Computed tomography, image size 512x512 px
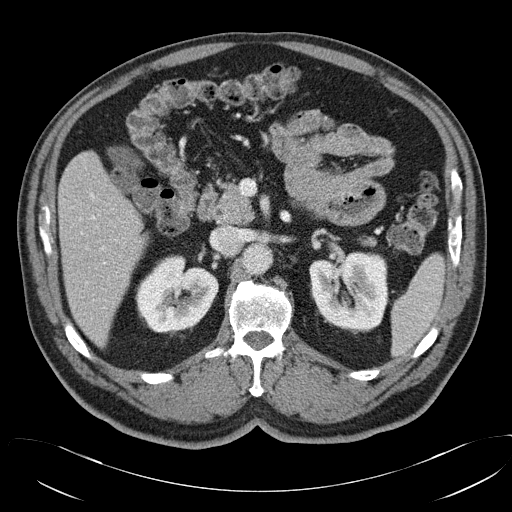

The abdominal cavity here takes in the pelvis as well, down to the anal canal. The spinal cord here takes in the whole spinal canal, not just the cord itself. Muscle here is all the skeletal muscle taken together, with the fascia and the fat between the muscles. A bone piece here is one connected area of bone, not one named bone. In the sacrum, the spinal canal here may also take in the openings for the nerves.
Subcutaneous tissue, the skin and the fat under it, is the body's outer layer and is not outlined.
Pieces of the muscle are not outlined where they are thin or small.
{"torso":[[[227,31],[313,33],[381,55],[429,86],[472,143],[487,217],[481,315],[466,353],[439,395],[401,427],[330,444],[283,442],[258,426],[213,447],[156,444],[120,432],[78,404],[32,335],[16,212],[23,172],[40,133],[76,92],[118,64],[166,44]]],"abdominal_cavity":[[[243,44],[276,45],[375,77],[436,129],[445,151],[445,294],[435,322],[405,355],[375,367],[348,367],[300,337],[285,290],[250,278],[236,285],[214,339],[162,371],[127,369],[104,360],[68,318],[54,204],[58,159],[72,126],[92,106],[148,72]]],"bones":[{"outer":[[250,279],[285,291],[292,305],[291,321],[282,335],[285,350],[280,360],[263,359],[259,377],[264,391],[258,397],[249,391],[253,366],[248,356],[238,355],[233,361],[223,355],[204,357],[208,350],[217,346],[228,348],[232,344],[228,304],[237,285]],"hole":[[253,331],[256,331],[257,332],[259,332],[260,331],[264,331],[265,332],[268,333],[272,338],[272,341],[269,344],[266,345],[264,347],[263,347],[260,349],[255,349],[254,348],[253,348],[251,346],[250,346],[244,340],[244,337],[249,332],[252,332]]},[[459,213],[460,213],[462,216],[462,239],[461,240],[461,250],[460,251],[460,259],[459,260],[459,264],[455,267],[452,263],[451,257],[448,251],[448,244],[447,243],[447,239],[448,238],[448,230],[447,229],[447,220],[449,217],[454,217]],[[44,204],[47,204],[50,210],[49,231],[51,234],[51,236],[53,238],[53,241],[51,243],[51,246],[52,247],[52,253],[51,255],[49,256],[47,256],[44,252],[43,245],[38,232],[38,215],[42,212],[41,210],[41,207],[42,205]],[[67,318],[69,319],[69,320],[75,328],[76,331],[79,334],[79,335],[87,346],[88,350],[90,354],[92,356],[92,358],[91,359],[89,359],[82,355],[78,351],[77,351],[69,342],[65,334],[65,332],[64,331],[64,325],[66,322]],[[434,325],[438,328],[438,334],[437,335],[437,337],[434,341],[434,342],[430,346],[430,347],[421,355],[418,356],[416,358],[413,358],[412,357],[411,357],[411,355],[412,354],[414,349],[421,341],[421,340],[426,335],[426,334],[430,330],[430,329]],[[455,167],[457,169],[457,171],[461,178],[462,184],[463,185],[463,188],[461,192],[461,198],[460,199],[460,201],[457,205],[456,205],[453,199],[453,195],[452,194],[451,187],[450,186],[451,184],[450,182],[450,170],[452,168],[454,168]],[[140,372],[164,372],[165,373],[170,373],[173,375],[173,378],[171,380],[170,380],[169,381],[167,381],[166,382],[163,382],[162,383],[157,383],[156,384],[152,384],[151,383],[148,383],[147,382],[144,381],[140,377],[140,376],[139,375],[139,373]],[[371,368],[378,368],[380,370],[380,371],[376,377],[375,377],[372,379],[370,379],[369,380],[358,380],[357,379],[355,379],[352,377],[349,377],[347,375],[347,374],[349,372],[350,372],[351,371],[353,371],[354,370],[362,370],[363,369],[370,369]]],"muscle":[{"outer":[[250,40],[297,41],[337,50],[401,80],[432,100],[450,119],[467,149],[473,172],[476,231],[472,290],[441,361],[421,382],[392,394],[367,412],[336,423],[287,417],[259,397],[265,391],[260,377],[263,361],[283,358],[283,335],[290,324],[310,347],[352,369],[346,374],[349,378],[372,380],[381,371],[376,367],[412,351],[410,357],[416,359],[435,342],[439,328],[434,324],[446,294],[447,255],[455,268],[461,259],[463,216],[459,212],[448,217],[442,139],[420,109],[375,76],[276,44],[238,44],[136,77],[87,109],[62,143],[53,211],[59,290],[67,316],[63,331],[68,342],[89,360],[93,358],[89,349],[116,367],[140,371],[139,377],[148,384],[162,384],[174,378],[164,370],[215,339],[226,311],[232,342],[228,347],[217,345],[206,350],[203,357],[229,357],[231,362],[238,356],[250,359],[252,383],[248,391],[254,397],[233,414],[208,423],[180,424],[144,413],[83,379],[54,341],[54,327],[39,300],[29,260],[25,222],[31,176],[44,140],[69,107],[92,89],[169,53],[207,43]],"holes":[[[44,204],[47,204],[50,210],[49,231],[51,234],[51,236],[53,238],[53,241],[51,243],[51,246],[52,247],[52,253],[51,255],[49,256],[47,256],[44,252],[43,245],[38,232],[38,215],[42,212],[41,210],[41,207],[42,205]],[[455,167],[457,169],[457,171],[461,178],[462,184],[463,185],[463,188],[461,192],[461,198],[460,199],[460,201],[457,205],[456,205],[453,199],[453,195],[452,194],[451,187],[450,186],[451,184],[450,182],[450,170],[452,168],[454,168]]]}],"spinal_cord":[[[253,331],[256,331],[257,332],[259,332],[260,331],[264,331],[265,332],[268,333],[272,338],[272,341],[269,344],[266,345],[264,347],[263,347],[260,349],[255,349],[254,348],[253,348],[251,346],[250,346],[244,340],[244,337],[249,332],[252,332]]]}